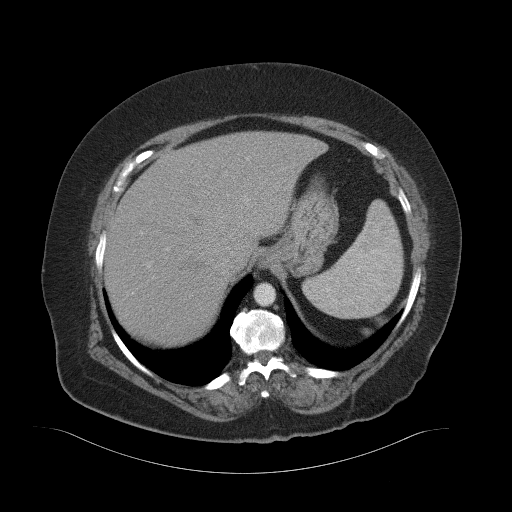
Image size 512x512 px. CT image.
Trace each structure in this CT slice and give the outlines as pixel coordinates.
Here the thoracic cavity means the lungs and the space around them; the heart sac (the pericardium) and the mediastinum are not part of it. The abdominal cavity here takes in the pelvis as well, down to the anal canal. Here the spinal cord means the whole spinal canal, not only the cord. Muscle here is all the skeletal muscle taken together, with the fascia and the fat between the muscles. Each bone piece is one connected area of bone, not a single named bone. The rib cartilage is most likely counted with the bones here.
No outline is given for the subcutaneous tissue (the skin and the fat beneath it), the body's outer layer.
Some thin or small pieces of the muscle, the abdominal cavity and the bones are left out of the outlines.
{"muscle":[{"outer":[[245,112],[278,112],[279,113],[288,113],[289,114],[298,114],[299,115],[311,115],[312,116],[317,116],[327,119],[331,119],[343,123],[356,130],[358,130],[388,149],[397,161],[406,169],[414,180],[420,196],[427,209],[431,243],[428,249],[427,258],[425,261],[426,274],[427,275],[426,278],[426,293],[425,294],[426,301],[424,304],[422,316],[418,323],[418,326],[408,340],[392,355],[382,367],[374,374],[370,376],[353,394],[350,395],[339,405],[334,408],[321,413],[304,414],[291,410],[283,405],[279,401],[264,400],[258,407],[252,411],[248,412],[243,416],[230,421],[216,422],[198,417],[179,408],[168,401],[164,400],[144,390],[90,357],[87,352],[87,342],[88,341],[88,329],[90,323],[89,319],[89,315],[90,314],[89,285],[91,281],[89,276],[90,258],[88,255],[87,240],[88,239],[89,227],[90,226],[90,222],[93,210],[96,204],[98,195],[102,189],[105,181],[109,177],[118,163],[136,147],[151,137],[179,125],[187,124],[201,119],[215,118],[228,114],[244,113]],"holes":[[[249,117],[301,126],[350,144],[372,158],[396,195],[399,187],[403,190],[411,208],[405,220],[412,245],[412,273],[418,267],[421,269],[414,301],[401,324],[372,353],[340,370],[341,374],[336,377],[308,375],[304,368],[313,365],[289,340],[278,352],[295,377],[274,369],[266,380],[262,374],[253,371],[245,383],[239,385],[238,375],[247,356],[237,344],[223,370],[231,379],[219,388],[208,390],[202,385],[176,383],[154,372],[149,376],[125,356],[114,340],[111,332],[114,327],[103,296],[102,272],[95,262],[100,235],[106,230],[110,212],[121,193],[112,188],[125,165],[140,152],[148,149],[154,152],[128,174],[124,183],[128,187],[145,164],[169,148],[207,128]],[[363,141],[364,141],[365,142],[370,142],[372,144],[373,144],[375,146],[376,146],[385,155],[385,157],[382,159],[378,159],[377,158],[376,158],[374,156],[373,156],[367,150],[366,150],[363,147],[363,146],[361,144],[361,142],[362,142]],[[264,389],[265,389],[266,390],[267,390],[268,391],[268,392],[269,393],[269,396],[268,397],[262,397],[261,396],[261,395],[260,394],[261,393],[261,391],[262,390],[263,390]]]}],"thoracic_cavity":[[[248,274],[252,277],[251,286],[240,300],[229,328],[229,335],[236,344],[233,346],[231,358],[221,373],[203,385],[170,381],[141,363],[114,328],[103,296],[103,288],[105,290],[115,319],[130,338],[152,350],[174,350],[198,342],[212,330],[231,290]],[[285,295],[304,327],[322,343],[338,350],[350,349],[365,342],[395,316],[398,312],[402,309],[402,311],[390,333],[385,340],[372,353],[363,360],[347,369],[336,370],[314,366],[300,355],[294,349],[290,341],[287,340],[286,311],[284,303]]],"bones":[{"outer":[[251,309],[267,310],[278,315],[284,322],[286,341],[278,352],[296,374],[295,377],[291,377],[281,369],[274,369],[266,380],[262,374],[253,371],[248,375],[243,385],[238,384],[238,375],[245,366],[247,356],[232,339],[230,328],[237,313]],"hole":[[262,350],[267,350],[268,351],[270,351],[272,353],[272,354],[271,355],[271,356],[269,358],[269,359],[266,362],[266,363],[265,364],[263,364],[262,363],[261,363],[256,358],[255,358],[254,357],[254,355],[257,352],[258,352],[259,351],[261,351]]},[[148,149],[152,149],[154,152],[150,153],[147,156],[147,158],[146,159],[137,164],[128,174],[125,179],[125,182],[123,185],[123,190],[121,192],[114,192],[112,188],[120,172],[125,165],[128,162],[131,161],[135,157],[135,156],[140,152],[147,150]],[[418,267],[420,267],[421,269],[421,276],[420,277],[419,286],[418,287],[417,293],[415,296],[414,301],[411,306],[411,308],[409,312],[405,317],[404,320],[395,330],[393,330],[396,324],[398,322],[406,304],[406,299],[410,289],[413,274]],[[112,328],[113,328],[115,330],[116,333],[119,336],[125,346],[134,356],[134,357],[141,364],[142,364],[153,373],[153,375],[152,376],[149,376],[144,372],[141,371],[125,356],[125,355],[119,348],[116,342],[114,340],[114,338],[111,332],[111,329]],[[306,366],[313,366],[314,367],[317,367],[318,368],[322,368],[323,369],[328,369],[329,370],[335,370],[336,371],[339,371],[341,374],[336,377],[330,377],[329,378],[315,378],[314,377],[312,377],[308,375],[306,373],[304,369],[304,368]],[[104,230],[105,231],[105,247],[104,248],[104,252],[103,253],[103,261],[102,262],[101,271],[99,271],[97,269],[97,267],[96,266],[96,263],[95,262],[95,251],[96,250],[96,247],[99,241],[99,238],[100,237],[100,235],[101,233]],[[224,371],[227,371],[230,374],[231,379],[229,381],[226,382],[222,386],[221,386],[219,388],[216,388],[215,389],[210,389],[209,390],[208,390],[207,389],[204,389],[203,388],[203,386],[205,384],[206,384],[208,382],[209,382],[214,378],[217,377]],[[399,187],[400,187],[403,190],[403,191],[404,192],[404,193],[405,194],[405,195],[406,196],[406,197],[410,204],[410,207],[411,208],[411,213],[409,215],[406,215],[404,213],[404,212],[402,209],[402,206],[401,205],[401,204],[397,197],[397,190]],[[363,141],[364,141],[365,142],[370,142],[372,144],[373,144],[375,146],[376,146],[385,155],[385,157],[382,159],[378,159],[377,158],[376,158],[374,156],[373,156],[367,150],[366,150],[363,147],[363,146],[361,144],[361,142],[362,142]]],"abdominal_cavity":[[[249,117],[301,126],[354,146],[385,174],[401,206],[412,245],[405,304],[353,347],[338,349],[315,337],[269,268],[254,270],[236,283],[211,330],[184,347],[144,346],[130,337],[114,315],[103,287],[102,267],[108,218],[124,186],[169,148],[207,128]]],"torso":[[[258,61],[317,66],[363,83],[400,107],[432,145],[456,197],[462,245],[454,302],[425,374],[407,398],[381,416],[328,433],[270,443],[180,438],[88,409],[73,400],[59,382],[54,337],[41,288],[46,231],[63,169],[86,132],[143,87],[192,69]]],"mediastinum":[[[266,269],[269,269],[271,273],[277,278],[277,281],[281,286],[281,289],[284,295],[283,303],[285,311],[285,324],[285,322],[278,314],[267,309],[251,308],[248,310],[242,309],[237,312],[237,309],[241,300],[252,286],[253,283],[252,272]]],"spinal_cord":[[[262,350],[267,350],[268,351],[270,351],[272,353],[272,354],[271,355],[271,356],[269,358],[269,359],[266,362],[266,363],[265,364],[263,364],[262,363],[261,363],[256,358],[255,358],[254,357],[254,355],[257,352],[258,352],[259,351],[261,351]]]}